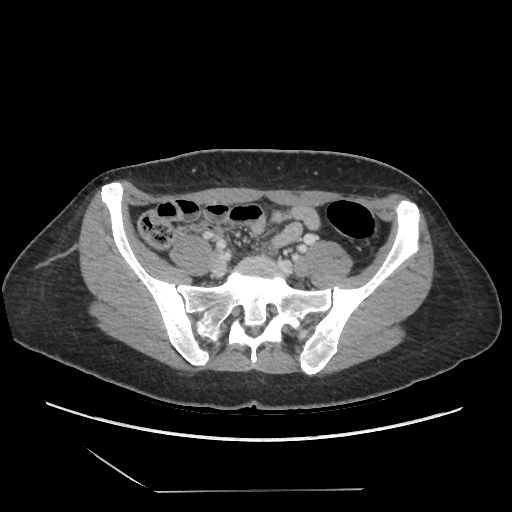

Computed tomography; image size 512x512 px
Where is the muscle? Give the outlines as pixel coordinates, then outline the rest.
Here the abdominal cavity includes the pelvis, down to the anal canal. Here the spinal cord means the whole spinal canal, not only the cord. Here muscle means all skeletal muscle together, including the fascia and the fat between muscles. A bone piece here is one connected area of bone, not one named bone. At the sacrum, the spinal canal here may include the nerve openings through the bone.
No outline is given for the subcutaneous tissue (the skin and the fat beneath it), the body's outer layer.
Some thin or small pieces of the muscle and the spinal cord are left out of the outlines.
The muscle appears in 3 outlined pieces: piece 1: [[100,186],[100,200],[108,212],[113,242],[150,293],[169,342],[188,363],[202,367],[210,359],[209,351],[198,345],[198,338],[215,345],[226,336],[228,345],[249,348],[250,363],[254,365],[262,344],[282,342],[286,325],[296,331],[308,315],[316,313],[319,318],[314,323],[314,331],[303,342],[298,355],[299,367],[305,374],[268,374],[255,370],[185,373],[96,327],[87,310],[92,296],[80,275],[78,238],[84,212]]; piece 2: [[118,179],[128,180],[151,194],[187,193],[215,187],[242,186],[262,190],[323,190],[374,198],[397,192],[412,199],[402,198],[395,205],[396,232],[388,252],[373,275],[359,286],[334,285],[324,288],[315,288],[311,280],[307,261],[307,251],[311,245],[320,240],[332,240],[340,244],[353,262],[350,276],[363,271],[386,241],[390,231],[389,224],[360,201],[342,197],[321,205],[299,206],[276,203],[263,196],[250,201],[224,203],[199,203],[178,198],[134,206],[130,210],[130,216],[137,238],[146,248],[169,263],[173,263],[169,250],[183,235],[197,235],[209,245],[212,259],[208,271],[203,275],[190,275],[191,284],[175,284],[151,275],[136,257],[124,226],[124,185]]; piece 3: [[418,206],[424,213],[430,232],[434,253],[434,277],[431,288],[425,300],[403,322],[403,327],[406,334],[402,342],[382,354],[340,371],[320,377],[310,376],[322,370],[338,351],[338,343],[342,331],[348,319],[358,306],[402,263],[420,249],[421,215]]. The torso is outlined by [[214,148],[345,152],[382,161],[413,177],[436,199],[494,282],[502,308],[501,328],[495,342],[449,370],[393,392],[346,404],[285,410],[258,409],[254,405],[222,410],[161,401],[102,380],[17,343],[6,313],[3,279],[23,248],[83,186],[112,168]]. The abdominal cavity is outlined by [[263,197],[299,207],[347,198],[388,224],[357,274],[340,243],[311,244],[309,289],[290,285],[277,261],[258,254],[242,257],[220,284],[192,284],[190,276],[210,269],[210,245],[183,234],[168,250],[171,263],[140,241],[132,222],[134,207]]. The spinal cord is outlined by [[256,325],[258,325],[259,326],[261,326],[262,325],[264,325],[262,331],[257,336],[256,336],[255,337],[253,337],[252,336],[250,336],[248,334],[247,334],[247,333],[246,332],[246,329],[245,328],[246,327],[252,327],[253,326],[255,326]]. The bones are outlined by [[114,180],[135,257],[175,285],[220,285],[258,255],[294,288],[362,286],[393,244],[405,198],[419,210],[419,249],[352,312],[318,372],[299,363],[316,312],[262,343],[254,364],[248,346],[200,336],[209,359],[195,366],[114,242],[101,200]]; inner edges: [[256,325],[258,325],[259,326],[261,326],[262,325],[264,325],[262,331],[257,336],[256,336],[255,337],[253,337],[252,336],[250,336],[248,334],[247,334],[247,333],[246,332],[246,329],[245,328],[246,327],[252,327],[253,326],[255,326]], then [[239,305],[241,305],[242,306],[243,306],[243,307],[244,308],[244,313],[243,314],[243,315],[242,315],[241,316],[240,316],[239,315],[237,315],[236,316],[233,316],[232,315],[232,311],[237,306],[238,306]], then [[270,305],[273,305],[277,309],[277,312],[276,313],[275,313],[273,315],[273,316],[272,317],[271,317],[270,318],[269,318],[268,317],[267,317],[267,316],[266,315],[266,313],[267,312],[267,308],[268,307],[268,306],[269,306]].